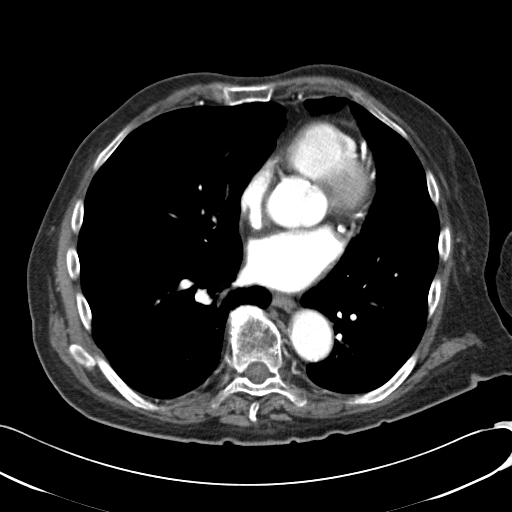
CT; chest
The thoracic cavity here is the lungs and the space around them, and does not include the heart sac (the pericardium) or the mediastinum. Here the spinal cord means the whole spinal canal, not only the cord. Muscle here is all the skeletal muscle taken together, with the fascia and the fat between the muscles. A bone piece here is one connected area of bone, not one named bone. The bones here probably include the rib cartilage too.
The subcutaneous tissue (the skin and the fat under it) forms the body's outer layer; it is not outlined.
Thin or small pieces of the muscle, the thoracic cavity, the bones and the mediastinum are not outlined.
Outlines:
mediastinum 1: (267, 288) (290, 295) (304, 292) (300, 298) (300, 304) (303, 307) (317, 310) (331, 323) (331, 330) (333, 336) (331, 348) (324, 358) (317, 361) (309, 362) (306, 365) (307, 378) (297, 372) (288, 361) (283, 352) (283, 340) (281, 332) (264, 310) (271, 301) (271, 294)
mediastinum 2: (314, 91) (336, 95) (306, 99) (303, 105) (311, 114) (327, 114) (347, 104) (360, 132) (353, 120) (337, 115) (315, 115) (308, 117) (293, 126) (283, 136) (274, 150) (277, 137) (283, 130) (287, 122) (285, 108) (279, 103) (272, 100) (272, 98) (283, 98) (292, 94)
spinal cord: (255, 362) (259, 362) (260, 363) (262, 363) (264, 364) (267, 368) (268, 371) (270, 373) (270, 375) (268, 377) (267, 377) (262, 382) (260, 383) (255, 383) (251, 381) (244, 374) (246, 369) (249, 366) (249, 365)
bones 1: (241, 304) (263, 309) (279, 330) (283, 353) (280, 374) (291, 386) (303, 392) (307, 401) (303, 406) (297, 406) (277, 392) (254, 396) (243, 391) (230, 394) (217, 407) (211, 406) (228, 382) (223, 379) (226, 368) (223, 357) (231, 352) (226, 332) (227, 319) (230, 311), around a hole outlined by (255, 362) (259, 362) (260, 363) (262, 363) (264, 364) (267, 368) (268, 371) (270, 373) (270, 375) (268, 377) (267, 377) (262, 382) (260, 383) (255, 383) (251, 381) (244, 374) (246, 369) (249, 366) (249, 365)
bones 2: (73, 343) (80, 345) (93, 357) (98, 355) (104, 358) (119, 377) (129, 387) (145, 399) (151, 401) (157, 405) (163, 406) (164, 408) (162, 410) (149, 410) (134, 405) (126, 399) (110, 383) (96, 365) (89, 369) (78, 363) (72, 357) (68, 351) (68, 348) (69, 345)
bones 3: (215, 83) (219, 83) (222, 85) (229, 85) (230, 86) (233, 85) (257, 85) (258, 84) (273, 83) (274, 84) (274, 91) (271, 99) (268, 101) (251, 101) (250, 102) (244, 102) (235, 105) (227, 105) (223, 103) (220, 103) (217, 101) (214, 94) (214, 84)
bones 4: (415, 350) (418, 351) (418, 357) (414, 367) (405, 379) (387, 396) (379, 401) (376, 401) (372, 403) (365, 403) (364, 404) (349, 404) (346, 402) (349, 398) (354, 396) (356, 394) (363, 394) (369, 392) (374, 389) (378, 388) (384, 384) (394, 375) (394, 374) (403, 365)
bones 5: (350, 91) (358, 92) (366, 101) (369, 101) (376, 106) (390, 119) (399, 125) (405, 131) (408, 136) (408, 138) (407, 139) (404, 138) (399, 133) (398, 133) (391, 127) (388, 126) (372, 113) (371, 113) (363, 105) (362, 105) (361, 103) (357, 102) (351, 95)
bones 6: (128, 124) (132, 124) (134, 126) (134, 128) (121, 141) (121, 142) (117, 146) (117, 147) (100, 166) (100, 167) (95, 172) (94, 172) (93, 171) (93, 165) (94, 164) (95, 160) (97, 158) (100, 152) (115, 137) (115, 136) (126, 125)
bones 7: (79, 291) (80, 291) (83, 294) (83, 295) (89, 306) (89, 308) (90, 309) (90, 311) (91, 312) (91, 331) (90, 332) (89, 332) (85, 328) (85, 327) (80, 318) (80, 316) (79, 315) (79, 312) (78, 311) (78, 309) (77, 308) (77, 303) (76, 302) (76, 293)
bones 8: (435, 276) (439, 277) (440, 279) (440, 281) (441, 282) (441, 289) (440, 290) (440, 294) (439, 295) (439, 299) (438, 300) (437, 305) (430, 318) (429, 319) (427, 319) (427, 316) (428, 315) (428, 294) (429, 293) (429, 290) (430, 289) (430, 286) (431, 285) (431, 283)
bones 9: (444, 226) (448, 226) (449, 227) (449, 230) (450, 231) (450, 248) (449, 249) (449, 253) (448, 254) (448, 257) (447, 258) (447, 259) (445, 261) (444, 261) (443, 260) (442, 260) (439, 258) (439, 252) (438, 251) (438, 241) (439, 240) (439, 233) (440, 232) (440, 230)
bones 10: (72, 246) (76, 249) (76, 251) (77, 252) (77, 255) (78, 256) (78, 261) (79, 262) (79, 277) (75, 279) (72, 279) (70, 277) (69, 275) (69, 273) (68, 272) (68, 269) (67, 268) (67, 263) (66, 262) (66, 253) (67, 252) (67, 250) (69, 247) (71, 247)
bones 11: (80, 198) (83, 200) (83, 216) (82, 217) (82, 222) (81, 223) (81, 226) (79, 229) (79, 231) (78, 233) (76, 234) (73, 232) (72, 230) (72, 228) (71, 227) (71, 218) (72, 217) (72, 214) (73, 213) (73, 209) (74, 208) (75, 203) (76, 201)
bones 12: (427, 170) (430, 170) (431, 171) (433, 174) (433, 176) (435, 179) (435, 181) (437, 185) (438, 193) (439, 194) (439, 201) (438, 202) (438, 205) (437, 206) (436, 206) (432, 201) (430, 197) (429, 192) (428, 191) (427, 180) (426, 179) (426, 174) (425, 173) (425, 171)
pericardium: (325, 115) (341, 117) (355, 123) (373, 158) (375, 167) (374, 195) (359, 231) (349, 240) (339, 259) (325, 277) (311, 287) (299, 293) (290, 294) (270, 289) (254, 281) (245, 268) (243, 244) (239, 230) (242, 194) (252, 177) (274, 152) (284, 136) (293, 127) (308, 118)
muscle 1: (302, 75) (332, 76) (356, 84) (399, 116) (423, 143) (445, 181) (454, 236) (438, 331) (448, 337) (469, 331) (482, 344) (458, 351) (385, 405) (333, 418) (272, 420) (256, 426) (217, 420) (179, 424) (99, 400) (50, 344) (48, 282) (55, 277) (53, 266) (64, 213) (86, 165) (104, 146) (93, 162) (94, 174) (84, 199) (80, 197) (74, 203) (70, 227) (77, 235) (77, 244) (76, 248) (67, 248) (65, 262) (69, 277) (80, 281) (81, 291) (75, 293) (79, 318) (105, 358) (93, 356) (74, 342) (67, 351) (85, 368) (96, 366) (134, 406) (162, 411) (163, 405) (144, 397) (179, 397) (204, 384) (224, 365) (222, 379) (227, 382) (210, 402) (212, 408) (238, 392) (254, 397) (277, 393) (303, 407) (308, 401) (304, 392) (281, 374) (284, 355) (291, 367) (314, 385) (355, 394) (345, 401) (347, 404) (372, 404) (394, 391) (415, 367) (419, 357) (416, 348) (440, 299) (442, 282) (435, 275) (438, 262) (448, 259) (451, 248) (450, 227) (440, 229) (436, 179) (430, 169) (424, 169) (406, 131) (358, 91) (349, 91) (354, 100) (316, 90) (273, 97) (275, 84) (260, 83) with a hole at (254, 401) (257, 401) (259, 403) (259, 406) (258, 407) (258, 409) (257, 410) (257, 411) (256, 412) (256, 421) (252, 421) (249, 418) (249, 409) (250, 408) (250, 406) (251, 405) (251, 404) (252, 403) (252, 402) (253, 402)
muscle 2: (213, 81) (237, 84) (230, 85) (222, 84) (219, 82) (215, 82) (213, 84) (213, 94) (216, 101) (219, 103) (211, 103) (204, 99) (200, 99) (196, 102) (163, 112) (135, 128) (135, 126) (132, 123) (128, 123) (148, 106) (165, 98) (175, 90) (197, 83) (208, 83)
torso: (311, 63) (352, 67) (410, 92) (441, 114) (467, 146) (488, 211) (485, 280) (511, 333) (511, 375) (479, 381) (390, 423) (284, 445) (182, 443) (87, 418) (61, 397) (42, 368) (32, 341) (26, 290) (32, 243) (74, 151) (124, 101) (160, 79) (196, 71) (267, 75)
thoracic cavity 1: (200, 100) (227, 106) (271, 100) (285, 110) (273, 150) (241, 194) (238, 222) (243, 272) (266, 288) (270, 301) (265, 308) (241, 303) (231, 309) (223, 367) (191, 391) (158, 399) (129, 386) (94, 340) (81, 287) (78, 234) (90, 183) (122, 141) (153, 118)
thoracic cavity 2: (330, 96) (363, 106) (408, 142) (424, 170) (439, 222) (438, 261) (421, 337) (389, 379) (363, 393) (320, 387) (307, 373) (309, 363) (328, 355) (334, 336) (328, 318) (303, 306) (301, 298) (328, 275) (359, 233) (376, 192) (374, 158) (349, 105) (319, 114) (304, 105)
left arm: (510, 231) (511, 231) (511, 317) (506, 313) (500, 304) (500, 302) (497, 295) (497, 292) (496, 291) (495, 280) (494, 279) (495, 278) (496, 270) (499, 265) (499, 262) (500, 261) (500, 259) (499, 258) (499, 255) (500, 254) (500, 248) (504, 240) (504, 238)